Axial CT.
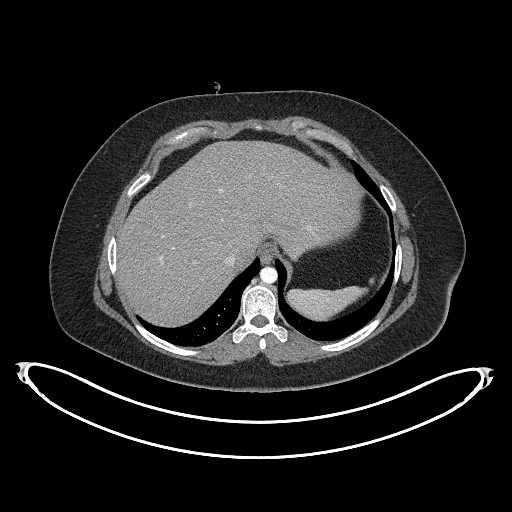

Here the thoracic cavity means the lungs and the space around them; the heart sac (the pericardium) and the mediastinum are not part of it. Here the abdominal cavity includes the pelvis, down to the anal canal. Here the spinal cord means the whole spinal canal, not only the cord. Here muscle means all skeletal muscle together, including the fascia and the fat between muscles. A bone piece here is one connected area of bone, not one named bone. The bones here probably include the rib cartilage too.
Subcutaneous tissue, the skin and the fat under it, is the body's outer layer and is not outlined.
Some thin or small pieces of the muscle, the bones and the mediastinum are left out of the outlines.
Outlines (x, y in pixels):
torso: (241, 392) (310, 389) (353, 379) (423, 347) (445, 322) (465, 259) (465, 235) (457, 210) (419, 148) (380, 113) (353, 99) (313, 90) (270, 90) (195, 94) (156, 103) (132, 115) (108, 136) (82, 168) (65, 200) (48, 273) (52, 309) (61, 329) (77, 342) (150, 375)
spinal cord: (256, 326) (262, 326) (263, 325) (264, 325) (267, 322) (267, 319) (265, 317) (264, 317) (263, 316) (262, 316) (261, 315) (258, 315) (257, 316) (256, 316) (255, 317) (254, 317) (251, 320) (251, 322) (254, 325) (255, 325)
mediastinum: (276, 294) (277, 294) (277, 272) (275, 269) (275, 266) (274, 265) (274, 261) (275, 260) (269, 254) (264, 254) (264, 255) (260, 258) (261, 268) (258, 273) (256, 274) (255, 276) (254, 276) (250, 282) (250, 284) (252, 285) (256, 283) (263, 284) (269, 287)
thoracic cavity 1: (322, 341) (341, 339) (370, 321) (381, 307) (392, 280) (395, 247) (392, 215) (377, 185) (352, 160) (356, 177) (380, 202) (390, 220) (393, 260) (380, 289) (349, 314) (329, 322) (312, 322) (285, 302) (282, 295) (285, 270) (278, 260) (275, 261) (281, 312) (300, 333)
thoracic cavity 2: (181, 346) (202, 345) (213, 341) (227, 331) (233, 323) (239, 311) (240, 297) (243, 289) (260, 268) (258, 258) (232, 281) (220, 297) (199, 318) (189, 324) (178, 328) (162, 328) (149, 324) (138, 316) (136, 316) (137, 320) (149, 331) (163, 339)
muscle: (276, 366) (289, 365) (290, 364) (302, 363) (309, 361) (316, 361) (322, 358) (335, 356) (344, 352) (347, 352) (371, 339) (399, 318) (413, 304) (417, 295) (418, 274) (419, 273) (419, 258) (418, 257) (418, 252) (416, 248) (416, 238) (417, 237) (412, 230) (412, 227) (406, 213) (405, 208) (399, 197) (392, 188) (390, 182) (366, 159) (359, 149) (346, 136) (326, 124) (324, 124) (312, 118) (295, 115) (294, 116) (288, 116) (281, 119) (249, 118) (242, 121) (235, 121) (234, 122) (218, 121) (217, 120) (197, 120) (196, 121) (191, 121) (179, 125) (160, 135) (154, 141) (149, 151) (147, 153) (144, 161) (136, 173) (125, 185) (116, 202) (114, 209) (112, 211) (106, 224) (102, 238) (102, 249) (99, 258) (99, 262) (96, 268) (94, 283) (93, 284) (93, 292) (92, 294) (93, 295) (94, 303) (100, 310) (120, 323) (124, 327) (129, 330) (140, 341) (143, 342) (151, 348) (168, 356) (182, 359) (183, 360) (189, 360) (194, 362) (210, 364) (211, 365) (229, 365) (230, 364) (236, 364) (243, 361) (249, 361) (258, 354) (261, 353) (272, 365) (275, 365) with a hole at (182, 355) (197, 354) (198, 350) (186, 346) (211, 342) (228, 330) (236, 343) (248, 333) (256, 334) (263, 349) (263, 336) (266, 333) (272, 332) (284, 342) (290, 325) (312, 339) (330, 341) (319, 348) (334, 351) (359, 341) (377, 326) (384, 313) (380, 316) (376, 314) (390, 287) (397, 282) (401, 267) (402, 249) (395, 242) (391, 214) (396, 206) (388, 188) (374, 183) (355, 161) (353, 151) (346, 142) (323, 130) (308, 127) (299, 120) (290, 123) (291, 129) (302, 129) (307, 138) (280, 134) (256, 123) (226, 138) (201, 137) (209, 129) (198, 126) (164, 140) (164, 144) (178, 147) (160, 160) (153, 176) (145, 171) (129, 187) (127, 196) (133, 199) (118, 235) (110, 237) (107, 259) (136, 316) (136, 329) (150, 342)
bones 1: (261, 349) (265, 347) (263, 336) (268, 332) (272, 332) (280, 341) (284, 342) (288, 337) (287, 327) (289, 325) (278, 308) (276, 295) (263, 285) (249, 284) (243, 291) (240, 311) (228, 330) (231, 331) (232, 340) (236, 343) (240, 342) (248, 333) (256, 334) (260, 338); inner edge: (256, 326) (262, 326) (263, 325) (264, 325) (267, 322) (267, 319) (265, 317) (264, 317) (263, 316) (262, 316) (261, 315) (258, 315) (257, 316) (256, 316) (255, 317) (254, 317) (251, 320) (251, 322) (254, 325) (255, 325)
bones 2: (355, 161) (355, 156) (353, 154) (352, 149) (343, 140) (337, 138) (323, 130) (308, 127) (306, 123) (303, 121) (295, 120) (290, 123) (291, 129) (293, 131) (296, 131) (298, 129) (302, 129) (304, 133) (308, 137) (323, 140) (332, 144) (339, 149) (347, 157)
bones 3: (326, 351) (334, 351) (335, 350) (339, 350) (340, 349) (345, 348) (359, 341) (370, 333) (377, 326) (380, 322) (384, 313) (380, 316) (379, 315) (377, 315) (370, 322) (349, 336) (335, 342) (331, 342) (330, 343) (320, 345) (319, 346) (319, 348) (322, 350) (325, 350)
bones 4: (182, 355) (195, 355) (199, 352) (198, 350) (189, 349) (185, 347) (181, 347) (180, 346) (174, 345) (152, 334) (145, 328) (144, 328) (137, 321) (136, 322) (134, 322) (134, 326) (136, 328) (136, 329) (150, 342) (166, 350) (168, 350) (174, 353) (181, 354)
bones 5: (166, 145) (178, 145) (182, 143) (185, 143) (187, 141) (189, 141) (192, 139) (196, 139) (204, 133) (206, 133) (209, 130) (209, 129) (207, 127) (205, 127) (204, 126) (191, 127) (184, 131) (182, 131) (179, 133) (169, 136) (165, 140) (164, 140) (164, 144)
bones 6: (130, 198) (132, 197) (136, 193) (137, 193) (137, 192) (139, 191) (139, 190) (141, 189) (141, 188) (143, 187) (143, 186) (145, 185) (151, 179) (152, 176) (150, 174) (149, 171) (145, 171) (141, 175) (140, 175) (132, 183) (132, 184) (129, 187) (127, 191) (127, 196)
bones 7: (113, 275) (115, 275) (115, 272) (116, 271) (116, 243) (115, 242) (115, 238) (114, 237) (114, 236) (113, 236) (112, 235) (110, 237) (110, 239) (109, 240) (109, 241) (108, 242) (108, 244) (107, 245) (107, 259) (108, 260) (108, 264) (109, 265) (110, 270)
bones 8: (392, 285) (394, 285) (397, 282) (397, 280) (399, 276) (399, 272) (400, 271) (400, 268) (401, 267) (401, 258) (402, 257) (402, 249) (399, 243) (396, 243) (396, 247) (395, 248) (395, 256) (394, 257) (394, 270) (393, 271) (393, 280) (392, 281)
bones 9: (392, 213) (394, 213) (396, 210) (396, 206) (395, 205) (395, 201) (394, 200) (390, 191) (388, 189) (388, 188) (387, 187) (386, 187) (383, 184) (380, 183) (378, 185) (378, 186) (379, 187) (379, 188) (380, 189) (387, 204) (389, 206) (389, 207) (391, 210) (391, 212)
abdominal cavity: (162, 327) (178, 327) (199, 317) (264, 253) (283, 264) (284, 298) (303, 317) (329, 321) (353, 311) (379, 289) (389, 271) (391, 234) (385, 210) (359, 183) (342, 153) (323, 141) (249, 128) (226, 138) (200, 137) (170, 150) (133, 198) (116, 237) (122, 293) (135, 315)